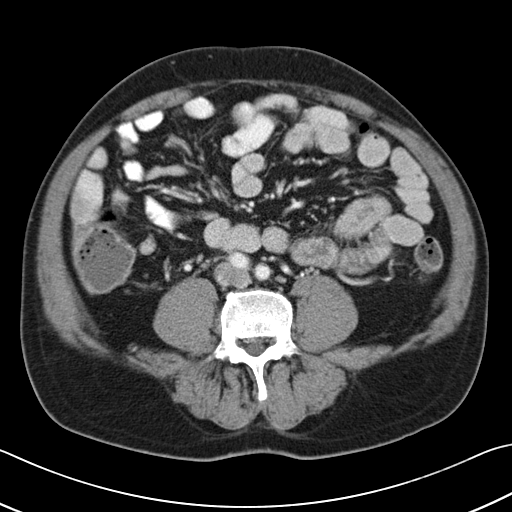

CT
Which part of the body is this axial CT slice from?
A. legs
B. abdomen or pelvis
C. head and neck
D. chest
B. abdomen or pelvis
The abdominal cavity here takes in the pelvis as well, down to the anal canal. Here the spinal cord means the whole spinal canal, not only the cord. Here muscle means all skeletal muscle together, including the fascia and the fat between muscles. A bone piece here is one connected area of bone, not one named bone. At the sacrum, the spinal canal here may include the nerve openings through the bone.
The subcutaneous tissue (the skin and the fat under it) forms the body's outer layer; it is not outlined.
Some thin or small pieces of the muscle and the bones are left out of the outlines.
Outlined structures:
torso: [[207,45],[290,45],[335,57],[397,98],[461,172],[487,237],[488,319],[474,382],[462,403],[441,422],[387,445],[335,457],[306,460],[255,453],[188,461],[131,451],[70,432],[40,405],[19,337],[22,245],[38,187],[72,129],[113,85],[159,57]]
bones: [[256,288],[278,291],[291,302],[293,319],[290,335],[301,353],[269,360],[264,365],[263,378],[267,397],[262,401],[257,399],[257,383],[252,370],[246,364],[241,362],[234,364],[227,359],[218,358],[203,361],[220,341],[220,310],[226,294],[229,291]]; inner edge: [[257,337],[261,337],[262,338],[264,337],[275,337],[275,342],[268,345],[265,348],[265,349],[260,354],[258,355],[256,355],[255,356],[254,355],[251,355],[249,354],[242,346],[240,346],[239,345],[238,340],[240,339],[245,339],[246,338],[256,338]]
spinal cord: [[257,337],[261,337],[262,338],[264,337],[275,337],[275,342],[268,345],[265,348],[265,349],[260,354],[258,355],[256,355],[255,356],[254,355],[251,355],[249,354],[242,346],[240,346],[239,345],[238,340],[240,339],[245,339],[246,338],[256,338]]
abdominal cavity: [[240,83],[359,116],[429,175],[451,260],[422,321],[400,341],[342,344],[358,310],[326,275],[292,284],[294,309],[263,287],[229,290],[220,309],[212,282],[187,276],[152,319],[175,350],[126,348],[98,328],[63,246],[64,208],[84,160],[113,128]]
muscle: [[229,79],[281,79],[286,81],[293,81],[299,83],[317,85],[320,87],[334,90],[355,97],[370,105],[379,112],[390,117],[402,126],[405,126],[411,129],[419,134],[439,154],[453,173],[465,197],[467,209],[470,214],[474,228],[476,239],[477,258],[475,264],[473,285],[469,304],[464,318],[455,331],[452,334],[448,335],[445,338],[433,344],[428,345],[423,348],[418,348],[403,352],[395,357],[385,359],[362,370],[355,377],[353,390],[342,409],[326,424],[310,433],[280,433],[269,428],[267,421],[260,413],[248,425],[246,425],[244,428],[238,431],[229,433],[209,433],[192,424],[177,409],[170,395],[159,380],[145,372],[138,371],[127,366],[113,363],[108,359],[97,357],[89,353],[81,352],[75,348],[66,345],[60,340],[57,334],[48,325],[48,322],[44,317],[42,310],[42,299],[37,283],[36,259],[35,258],[38,241],[37,239],[38,230],[40,225],[41,211],[46,191],[56,170],[64,158],[81,141],[99,128],[110,118],[134,103],[152,94],[192,82],[199,82],[206,80],[228,80]], around a hole outlined by [[240,83],[392,134],[451,235],[437,297],[394,344],[342,344],[358,324],[350,294],[296,280],[301,353],[264,365],[262,401],[246,364],[203,361],[221,338],[211,281],[159,299],[152,327],[175,350],[131,351],[95,323],[62,233],[74,178],[113,128]]